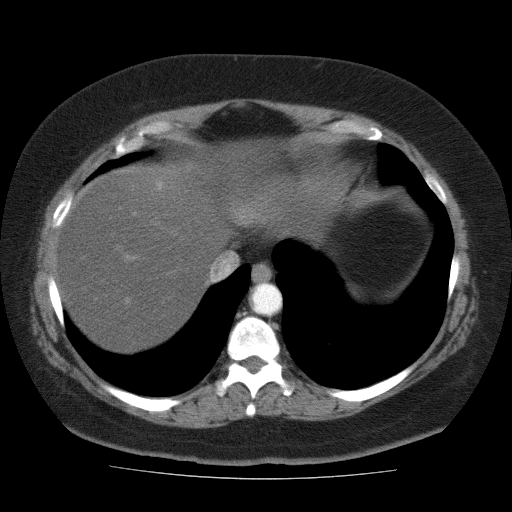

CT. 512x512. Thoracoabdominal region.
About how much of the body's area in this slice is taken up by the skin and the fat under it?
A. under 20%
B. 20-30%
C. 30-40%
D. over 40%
C. 30-40%
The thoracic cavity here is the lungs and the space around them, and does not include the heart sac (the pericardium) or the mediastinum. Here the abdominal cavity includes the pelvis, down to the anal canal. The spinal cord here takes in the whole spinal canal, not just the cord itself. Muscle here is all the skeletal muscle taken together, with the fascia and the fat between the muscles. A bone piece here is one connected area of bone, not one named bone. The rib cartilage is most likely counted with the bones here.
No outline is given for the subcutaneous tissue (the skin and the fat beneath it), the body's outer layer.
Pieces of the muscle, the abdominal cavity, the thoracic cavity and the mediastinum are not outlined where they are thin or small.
Outlines (x, y in pixels):
thoracic cavity 1: 377,142 400,150 445,207 453,234 446,304 432,341 409,365 364,387 328,387 282,353 283,296 272,251 284,240 307,247 321,256 347,296 358,304 390,306 404,295 428,257 435,225 406,185 380,181
thoracic cavity 2: 242,264 250,266 249,284 237,305 227,336 225,355 220,356 205,377 181,393 151,397 113,385 94,371 68,337 65,327 65,310 77,330 91,344 103,351 130,356 154,349 170,340 188,322 211,286 227,278
thoracic cavity 3: 134,151 143,151 146,152 147,153 145,155 129,161 127,163 124,163 122,165 118,165 115,167 112,167 110,169 108,169 106,171 100,173 87,183 83,184 83,182 86,178 102,163 108,159 118,158 125,154
abdominal cavity: 251,104 302,128 360,137 344,146 344,156 371,165 364,186 406,186 433,222 419,273 394,303 364,305 302,243 257,241 161,345 130,355 97,347 70,319 56,282 60,227 78,190 145,156 136,150 162,134, around a hole outlined by 276,160 291,160 299,168 302,195 301,211 294,220 290,223 284,227 270,232 266,235 262,235 258,233 255,234 241,233 229,227 226,224 221,214 222,197 226,190 232,184 247,175 261,170 266,165
mediastinum 1: 257,242 265,244 277,242 271,251 271,260 277,271 275,282 282,296 281,340 279,340 269,323 255,315 246,315 239,319 232,326 238,305 250,284 251,266 248,263 242,263 238,266 240,262 240,255 244,248
mediastinum 2: 360,138 367,141 376,142 375,147 377,157 379,160 379,171 380,172 379,173 379,181 385,185 381,188 368,189 365,186 365,175 372,167 372,165 370,163 362,163 354,160 349,160 345,156 345,146 350,141
spinal cord: 251,356 256,356 257,357 260,358 264,362 264,364 263,365 262,365 260,367 260,368 256,372 251,372 250,371 249,371 249,370 245,366 244,366 243,365 243,361 244,360 245,360 247,358 248,358
bones 1: 246,316 270,325 281,346 280,359 287,364 282,375 293,386 287,396 275,382 264,384 252,400 255,413 251,417 245,410 252,399 243,383 231,384 222,396 215,389 215,381 227,374 231,362 226,355 229,333 with a hole at 251,356 256,356 257,357 260,358 264,362 264,364 263,365 262,365 260,367 260,368 256,372 251,372 250,371 249,371 249,370 245,366 244,366 243,365 243,361 244,360 245,360 247,358 248,358
bones 2: 414,362 416,362 416,366 412,371 399,383 388,390 371,398 362,401 347,401 343,399 340,399 331,396 327,392 327,389 326,388 336,388 341,390 356,390 357,389 360,389 370,386 387,378 389,378
bones 3: 100,383 106,383 125,390 128,392 144,397 159,398 160,397 171,397 172,396 176,398 179,398 181,400 181,402 179,404 175,405 167,410 164,410 163,411 149,411 130,405 122,401 104,389 101,386
bones 4: 154,120 164,120 170,122 173,126 173,128 170,131 162,132 157,134 145,135 144,136 145,137 145,143 141,147 133,151 125,153 118,157 114,157 115,145 122,136 124,136 128,139 133,135 134,131 140,126
bones 5: 342,119 354,120 366,126 374,126 378,128 382,132 383,136 380,141 374,141 373,140 367,140 366,139 364,139 362,137 353,133 333,133 329,131 326,131 324,129 324,126 333,121 335,121 336,120 341,120
bones 6: 50,275 54,277 55,279 55,282 57,286 57,289 59,292 59,295 61,300 61,304 62,305 62,309 63,310 64,327 61,326 49,297 48,285 47,284 47,278 48,276
bones 7: 69,191 72,192 73,194 73,199 71,202 71,204 69,207 69,209 61,225 58,227 53,227 52,226 52,216 53,215 53,213 57,205 59,203 59,202 64,197 66,193
bones 8: 453,253 456,253 459,257 459,260 460,261 460,268 458,272 457,279 456,280 455,285 453,288 450,299 449,301 447,302 447,294 448,293 448,281 449,280 450,267 451,266 451,261 452,260 452,256 453,255
bones 9: 424,172 427,172 431,174 433,176 434,176 442,187 445,193 446,198 447,199 447,203 445,205 443,203 442,203 442,202 437,197 437,196 429,187 429,186 425,181 423,177 423,174
torso: 186,52 308,54 386,69 439,99 487,153 499,177 508,215 508,296 489,360 463,405 441,431 343,461 209,465 137,455 82,439 48,405 16,345 2,289 0,239 6,199 18,160 39,122 73,92 128,65
pericardium: 276,160 291,160 299,168 302,195 301,211 294,220 290,223 284,227 270,232 266,235 262,235 258,233 255,234 241,233 229,227 226,224 221,214 222,197 226,190 232,184 247,175 261,170 266,165
muscle: 232,98 352,111 413,143 445,180 465,219 479,303 463,347 415,383 350,416 315,421 252,417 256,413 253,400 267,383 278,385 287,397 294,391 283,375 288,368 281,359 283,353 308,377 327,387 331,397 347,402 371,399 399,384 436,336 461,261 454,252 443,187 431,173 424,171 422,175 396,146 381,141 384,134 378,127 342,118 327,123 324,130 310,129 281,111 251,103 226,106 193,127 171,131 174,126 170,121 154,119 128,138 122,135 114,145 113,157 90,173 74,196 69,190 56,205 51,216 51,226 59,227 55,278 51,274 46,278 60,326 86,363 109,383 99,384 112,396 145,411 167,411 182,402 173,396 198,384 224,355 230,362 226,374 214,381 215,393 222,397 231,385 243,384 251,399 244,413 250,417 210,428 157,424 99,399 47,361 31,329 29,287 45,208 59,186 98,145 133,120 157,111